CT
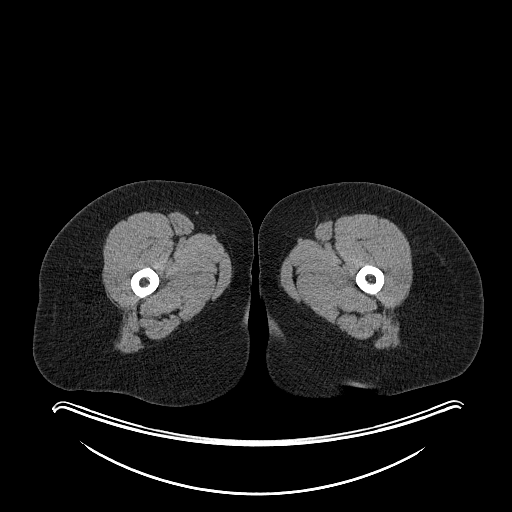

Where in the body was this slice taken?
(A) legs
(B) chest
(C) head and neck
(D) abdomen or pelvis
(A) legs
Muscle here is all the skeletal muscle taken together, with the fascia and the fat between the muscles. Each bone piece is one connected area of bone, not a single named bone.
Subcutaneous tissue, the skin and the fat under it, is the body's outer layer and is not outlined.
The right leg is outlined by 153,179 191,182 217,189 242,207 253,228 254,256 248,316 250,352 247,368 241,380 231,390 212,401 198,405 171,407 119,393 65,390 43,377 32,355 39,271 46,250 54,237 79,210 98,196 127,183. The bones appear in 2 outlined pieces: piece 1: 147,266 152,268 157,273 159,277 159,283 156,289 152,293 142,298 140,298 137,295 136,295 132,290 131,288 131,286 130,285 130,279 131,278 131,276 137,270 139,269 141,269; piece 2: 365,264 370,264 371,265 376,266 383,272 383,274 384,275 384,282 383,283 383,285 380,289 380,290 378,291 375,294 369,294 368,293 366,293 364,291 363,291 357,285 355,281 355,276 358,270. The left leg is outlined by 342,181 379,183 411,195 440,215 467,246 482,281 484,320 479,349 471,364 460,375 447,381 393,395 351,393 331,398 299,397 279,389 272,383 265,364 267,318 258,291 260,224 273,205 285,196 305,188. The muscle appears in 2 outlined pieces: piece 1: 149,208 177,208 186,210 217,224 232,242 234,249 234,274 232,281 217,301 197,319 165,343 141,353 118,355 112,349 118,315 117,309 106,296 101,278 103,267 102,247 107,233 113,224 132,212, around a hole outlined by 147,266 152,268 157,273 159,277 159,283 156,289 152,293 142,298 140,298 137,295 136,295 132,290 131,288 131,286 130,285 130,279 131,278 131,276 137,270 139,269 141,269; piece 2: 362,212 374,213 387,218 396,224 407,238 411,249 413,279 409,294 401,306 402,346 390,353 373,353 349,342 330,329 313,313 298,306 287,297 279,287 279,272 282,261 298,234 307,224 320,216; inner edge: 365,264 370,264 371,265 376,266 383,272 383,274 384,275 384,282 383,283 383,285 380,289 380,290 378,291 375,294 369,294 368,293 366,293 364,291 363,291 357,285 355,281 355,276 358,270.